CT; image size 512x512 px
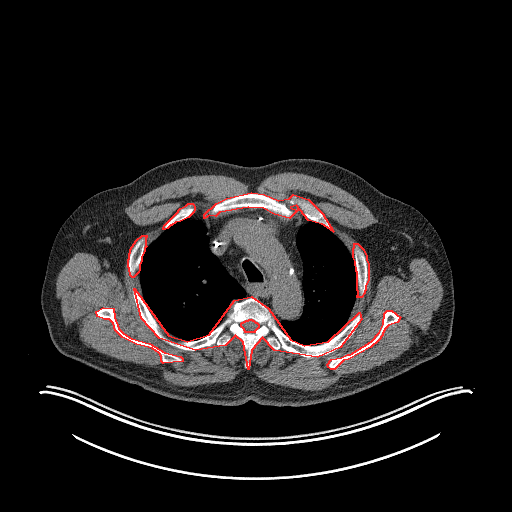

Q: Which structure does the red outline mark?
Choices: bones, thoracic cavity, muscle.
A: red: bones.
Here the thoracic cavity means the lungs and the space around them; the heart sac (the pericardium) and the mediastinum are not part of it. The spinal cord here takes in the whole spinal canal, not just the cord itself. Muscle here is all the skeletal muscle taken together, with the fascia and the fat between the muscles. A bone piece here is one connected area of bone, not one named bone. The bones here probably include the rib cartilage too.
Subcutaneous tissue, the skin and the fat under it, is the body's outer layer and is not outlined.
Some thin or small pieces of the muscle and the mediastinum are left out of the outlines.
The bones appear in 7 outlined pieces: piece 1: 134 288; 168 335; 187 341; 209 334; 234 300; 251 296; 268 308; 290 339; 304 345; 328 341; 359 312; 361 319; 340 347; 317 357; 274 350; 262 337; 251 350; 248 369; 243 342; 235 335; 225 345; 195 350; 159 338; 141 318, around a hole outlined by 249 319; 251 319; 252 320; 253 320; 255 322; 256 322; 258 324; 258 327; 254 331; 254 332; 245 332; 245 331; 244 330; 244 329; 241 326; 241 323; 242 322; 243 322; 244 321; 245 321; 246 320; 248 320; piece 2: 251 192; 264 194; 278 200; 289 198; 293 194; 308 199; 322 213; 333 231; 322 224; 308 220; 296 205; 290 207; 297 210; 289 218; 274 214; 263 208; 248 207; 219 212; 215 216; 209 215; 204 218; 204 214; 216 203; 226 198; piece 3: 103 307; 113 308; 114 317; 118 328; 123 333; 131 338; 149 343; 164 352; 180 356; 182 358; 182 361; 163 363; 161 361; 161 356; 159 353; 152 348; 136 344; 122 337; 115 330; 113 323; 109 319; 104 319; 97 316; 96 311; piece 4: 387 310; 391 310; 400 317; 397 322; 388 325; 385 328; 382 333; 382 335; 378 340; 370 347; 348 359; 343 360; 334 369; 331 369; 328 367; 327 364; 331 359; 341 357; 347 354; 350 354; 371 341; 379 332; 383 324; 384 313; piece 5: 354 243; 357 243; 362 248; 366 255; 366 259; 368 264; 368 279; 365 286; 365 290; 364 291; 364 293; 361 297; 357 297; 357 295; 358 294; 358 291; 357 290; 357 272; 356 271; 355 261; 353 257; 353 248; 354 247; piece 6: 142 235; 146 235; 146 237; 145 238; 145 245; 146 246; 144 248; 144 250; 141 257; 141 260; 139 265; 139 270; 138 272; 133 277; 132 277; 130 275; 129 268; 128 267; 128 259; 129 258; 129 253; 130 252; 130 249; 136 240; piece 7: 188 203; 192 203; 193 204; 194 206; 194 210; 193 212; 188 217; 180 221; 175 222; 171 225; 170 225; 167 228; 165 229; 163 229; 163 227; 164 225; 178 211; 178 210; 180 208; 186 205. The spinal cord is outlined by 249 319; 251 319; 252 320; 253 320; 255 322; 256 322; 258 324; 258 327; 254 331; 254 332; 245 332; 245 331; 244 330; 244 329; 241 326; 241 323; 242 322; 243 322; 244 321; 245 321; 246 320; 248 320. The mediastinum is outlined by 241 208; 263 209; 285 219; 291 218; 296 213; 307 220; 299 227; 295 237; 295 244; 303 267; 302 289; 304 303; 299 318; 278 321; 259 298; 253 295; 245 297; 246 292; 244 288; 230 275; 220 259; 210 250; 204 219. The muscle appears in 3 outlined pieces: piece 1: 76 252; 104 259; 120 279; 128 254; 129 275; 138 275; 141 291; 132 289; 134 305; 159 339; 195 351; 235 336; 248 370; 262 338; 274 351; 306 359; 340 348; 362 319; 359 311; 348 320; 366 290; 367 257; 374 287; 384 275; 405 280; 409 261; 425 258; 443 295; 426 333; 407 350; 328 387; 302 390; 247 371; 229 382; 178 386; 152 367; 87 347; 76 327; 65 325; 56 279; inner edges: 103 307; 111 307; 113 308; 114 310; 114 317; 116 320; 118 328; 123 333; 131 338; 140 341; 143 341; 146 343; 149 343; 157 347; 164 352; 168 352; 180 356; 182 358; 182 361; 180 362; 163 363; 161 361; 161 356; 159 353; 152 348; 148 346; 144 346; 143 345; 136 344; 122 337; 115 330; 113 323; 109 319; 104 319; 103 318; 100 318; 97 316; 96 311; 98 309, then 387 310; 391 310; 400 317; 397 322; 388 325; 385 328; 382 333; 382 335; 378 340; 370 347; 348 359; 343 360; 334 369; 331 369; 328 367; 327 364; 331 359; 341 357; 347 354; 350 354; 371 341; 379 332; 383 324; 384 313; piece 2: 280 172; 304 173; 328 181; 351 193; 371 211; 378 221; 355 232; 359 244; 353 243; 352 254; 334 232; 323 213; 308 198; 295 193; 283 199; 254 191; 239 193; 216 202; 203 214; 203 218; 190 216; 195 206; 192 202; 188 202; 177 210; 163 225; 161 232; 147 245; 146 234; 136 239; 141 228; 124 211; 143 194; 185 176; 202 174; 230 176; 247 184; 249 190; 254 191; 266 177; piece 3: 292 206; 296 206; 296 207; 297 208; 298 208; 301 211; 301 212; 302 213; 302 216; 301 215; 300 215; 299 214; 298 214; 296 212; 298 210; 298 209; 297 208; 292 208; 291 207. The thoracic cavity appears in 2 outlined pieces: piece 1: 189 217; 203 219; 206 228; 206 235; 208 238; 209 250; 219 259; 229 275; 236 280; 245 292; 244 298; 234 299; 230 303; 224 318; 219 324; 206 335; 193 340; 181 339; 172 335; 158 322; 142 296; 138 274; 145 248; 163 230; piece 2: 307 221; 322 225; 329 231; 333 232; 347 248; 354 261; 357 291; 355 302; 347 323; 343 328; 328 340; 311 345; 304 344; 290 338; 281 329; 277 322; 282 320; 297 320; 301 317; 304 309; 304 267; 296 244; 296 237; 300 227. The torso is outlined by 187 157; 242 166; 289 158; 324 160; 416 208; 438 233; 452 271; 455 308; 451 337; 444 350; 360 392; 299 407; 262 405; 253 400; 239 405; 177 400; 63 355; 50 338; 40 301; 49 253; 59 228; 95 193; 124 185; 162 163.